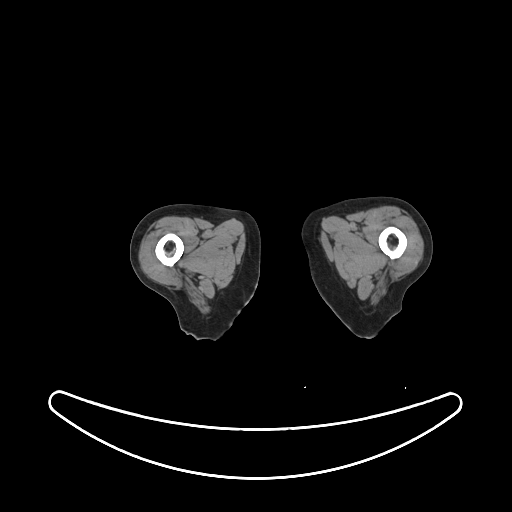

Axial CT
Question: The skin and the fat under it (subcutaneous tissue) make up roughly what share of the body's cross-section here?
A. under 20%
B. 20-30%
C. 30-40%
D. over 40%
Answer: D. over 40%
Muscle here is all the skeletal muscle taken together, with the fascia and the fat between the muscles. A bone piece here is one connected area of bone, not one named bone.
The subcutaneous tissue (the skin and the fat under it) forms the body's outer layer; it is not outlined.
Outlines:
bones 1: [[168,232],[172,232],[173,233],[175,233],[182,240],[183,242],[183,245],[184,246],[184,248],[183,249],[183,252],[180,258],[172,266],[167,266],[166,265],[164,265],[156,257],[155,255],[155,246],[158,240],[163,235],[164,235]]
bones 2: [[387,226],[394,226],[395,227],[400,229],[405,234],[405,235],[407,238],[407,245],[406,246],[406,248],[405,249],[404,252],[398,258],[391,259],[386,254],[385,254],[379,247],[379,244],[378,243],[378,237],[379,236],[379,234],[381,232],[381,231]]
muscle 1: [[167,215],[200,217],[211,222],[220,222],[230,218],[237,218],[246,226],[246,246],[235,285],[226,287],[220,293],[216,301],[214,312],[209,317],[201,314],[189,301],[183,291],[170,290],[163,285],[151,280],[140,268],[138,251],[143,236],[152,222]] with a hole at [[168,232],[172,232],[173,233],[175,233],[182,240],[183,242],[183,245],[184,246],[184,248],[183,249],[183,252],[180,258],[172,266],[167,266],[166,265],[164,265],[156,257],[155,255],[155,246],[158,240],[163,235],[164,235]]
muscle 2: [[381,205],[397,206],[404,209],[412,217],[422,236],[424,252],[418,266],[400,280],[392,283],[388,287],[387,293],[375,307],[375,310],[372,313],[367,313],[340,280],[338,274],[328,261],[321,244],[316,239],[315,233],[318,223],[325,216],[343,215]], around a hole outlined by [[387,226],[394,226],[395,227],[400,229],[405,234],[405,235],[407,238],[407,245],[406,246],[406,248],[405,249],[404,252],[398,258],[391,259],[386,254],[385,254],[379,247],[379,244],[378,243],[378,237],[379,236],[379,234],[381,232],[381,231]]
right leg: [[176,203],[213,205],[244,210],[253,216],[260,230],[261,255],[257,287],[252,298],[237,316],[231,327],[221,338],[215,341],[207,339],[198,340],[184,333],[179,327],[176,313],[171,304],[138,279],[129,260],[130,239],[138,222],[153,209]]
left leg: [[367,196],[393,196],[407,201],[424,218],[431,231],[433,240],[433,254],[428,268],[405,292],[401,310],[389,321],[378,335],[371,339],[358,337],[351,332],[322,299],[312,281],[307,253],[301,238],[302,223],[308,213],[313,209],[323,207],[348,198]]